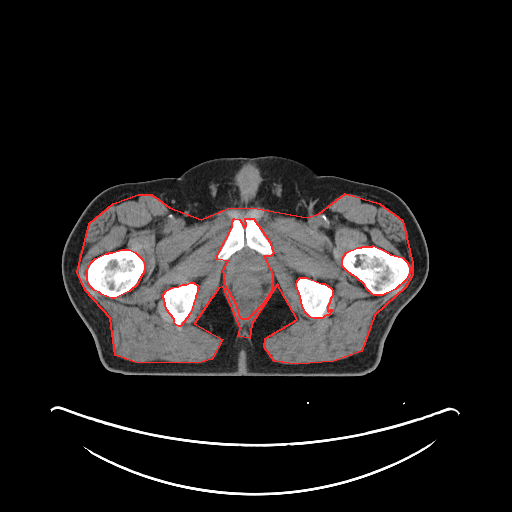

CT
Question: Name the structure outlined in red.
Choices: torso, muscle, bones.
Answer: red: muscle.
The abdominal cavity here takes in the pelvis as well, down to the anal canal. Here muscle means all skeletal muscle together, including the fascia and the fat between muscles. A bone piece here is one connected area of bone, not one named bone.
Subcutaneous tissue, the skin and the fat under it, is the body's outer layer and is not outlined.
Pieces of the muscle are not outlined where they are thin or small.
The muscle is outlined by (345, 193) (379, 203) (402, 220) (412, 263) (412, 275) (405, 287) (374, 315) (361, 351) (333, 361) (297, 364) (274, 361) (264, 347) (265, 338) (297, 319) (277, 284) (251, 324) (249, 338) (238, 336) (240, 328) (223, 286) (218, 288) (194, 323) (222, 339) (211, 359) (197, 363) (135, 362) (115, 355) (110, 318) (85, 290) (77, 272) (89, 223) (113, 203) (138, 194) (151, 194) (169, 207) (201, 219) (227, 208) (251, 207) (307, 217) (319, 213) with holes at (234, 218) (239, 219) (244, 227) (246, 225) (245, 218) (253, 218) (269, 241) (273, 253) (270, 256) (263, 256) (272, 273) (271, 291) (263, 303) (247, 319) (242, 319) (240, 317) (236, 304) (226, 287) (223, 270) (228, 261) (217, 259) (217, 255) (232, 227) (232, 221) and at (373, 245) (384, 250) (390, 254) (402, 257) (407, 262) (409, 268) (409, 272) (406, 279) (395, 289) (382, 295) (374, 295) (372, 294) (366, 288) (364, 284) (356, 277) (348, 272) (343, 267) (342, 264) (342, 258) (346, 252) (357, 247) (361, 247) (362, 246) (372, 246) and at (121, 249) (129, 249) (135, 252) (142, 259) (144, 263) (144, 271) (140, 277) (137, 284) (129, 291) (115, 298) (111, 298) (101, 294) (99, 292) (94, 290) (90, 286) (87, 280) (87, 269) (90, 263) (95, 258) (105, 253) (108, 253) (109, 252) (112, 252) and at (300, 277) (306, 277) (321, 283) (324, 283) (331, 288) (332, 290) (332, 296) (330, 298) (329, 303) (327, 306) (327, 310) (328, 311) (331, 309) (331, 311) (328, 315) (326, 315) (321, 318) (313, 318) (310, 317) (306, 313) (302, 306) (300, 296) (296, 285) (297, 280) and at (190, 282) (193, 282) (197, 285) (197, 291) (195, 295) (195, 298) (193, 302) (192, 308) (189, 314) (181, 325) (180, 326) (178, 326) (176, 325) (174, 321) (174, 319) (166, 309) (164, 299) (163, 298) (163, 294) (166, 290) (172, 287) (178, 286) (182, 284) (186, 284). The bones appear in 5 outlined pieces: piece 1: (373, 245) (384, 250) (390, 254) (402, 257) (407, 262) (409, 268) (409, 272) (406, 279) (395, 289) (382, 295) (374, 295) (372, 294) (366, 288) (364, 284) (356, 277) (348, 272) (343, 267) (342, 264) (342, 258) (346, 252) (357, 247) (361, 247) (362, 246) (372, 246); piece 2: (121, 249) (129, 249) (135, 252) (142, 259) (144, 263) (144, 271) (140, 277) (137, 284) (129, 291) (115, 298) (111, 298) (101, 294) (99, 292) (94, 290) (90, 286) (87, 280) (87, 269) (90, 263) (95, 258) (105, 253) (108, 253) (109, 252) (112, 252); piece 3: (234, 218) (239, 219) (244, 227) (246, 225) (245, 218) (253, 218) (257, 222) (261, 231) (269, 241) (273, 253) (272, 255) (270, 256) (262, 255) (254, 249) (245, 245) (241, 249) (232, 254) (228, 259) (224, 261) (218, 260) (217, 255) (232, 227) (232, 221); piece 4: (300, 277) (306, 277) (321, 283) (324, 283) (331, 288) (332, 290) (332, 296) (330, 298) (329, 303) (327, 306) (327, 310) (328, 311) (331, 309) (331, 311) (328, 315) (326, 315) (321, 318) (313, 318) (310, 317) (306, 313) (302, 306) (300, 296) (296, 285) (297, 280); piece 5: (190, 282) (193, 282) (197, 285) (197, 291) (195, 295) (195, 298) (193, 302) (192, 308) (189, 314) (181, 325) (180, 326) (178, 326) (176, 325) (174, 321) (174, 319) (166, 309) (164, 299) (163, 298) (163, 294) (166, 290) (172, 287) (178, 286) (182, 284) (186, 284). The torso is outlined by (266, 155) (294, 159) (320, 175) (386, 188) (397, 194) (415, 216) (429, 253) (427, 277) (396, 316) (377, 367) (363, 375) (339, 377) (125, 375) (106, 369) (90, 331) (68, 297) (61, 272) (65, 242) (85, 207) (101, 191) (116, 184) (178, 177) (192, 166) (214, 158). The abdominal cavity is outlined by (243, 248) (245, 249) (249, 248) (263, 256) (263, 258) (269, 265) (269, 268) (272, 273) (271, 291) (269, 292) (263, 301) (263, 303) (247, 319) (242, 319) (240, 317) (236, 304) (234, 303) (226, 287) (226, 281) (223, 271) (224, 267) (228, 262) (227, 260) (232, 255).